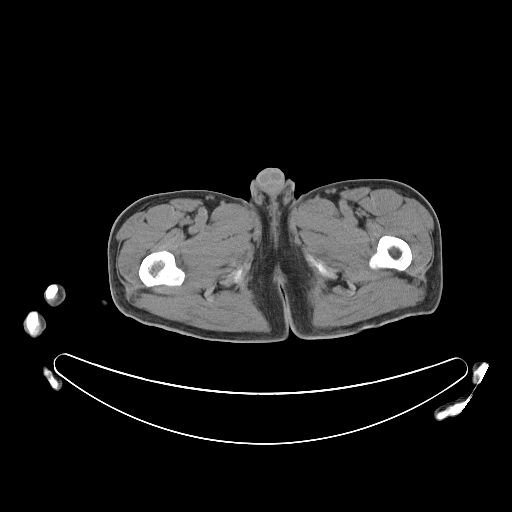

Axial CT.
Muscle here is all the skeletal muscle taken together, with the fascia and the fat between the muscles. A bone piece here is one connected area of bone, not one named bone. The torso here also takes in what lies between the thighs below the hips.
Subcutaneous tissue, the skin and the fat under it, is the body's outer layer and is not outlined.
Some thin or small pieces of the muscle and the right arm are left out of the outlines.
Outlined structures:
left leg: 359,178 385,178 403,182 416,189 433,207 439,220 442,244 443,288 439,305 436,310 430,314 405,317 352,335 329,339 298,338 290,331 284,297 282,264 279,257 277,241 287,221 296,196 325,184
right leg: 186,189 211,190 244,199 248,198 253,204 278,250 282,271 285,311 290,332 285,340 268,343 234,343 200,339 140,323 133,318 124,315 114,304 108,280 107,247 110,230 115,219 128,205 141,197 160,192
bones 1: 160,250 167,250 171,252 174,255 176,265 183,270 185,273 184,280 180,285 170,286 169,285 160,284 159,285 154,285 153,286 146,286 140,279 138,274 138,270 142,259 146,255 152,252 159,251
bones 2: 383,235 392,235 396,237 399,237 403,239 409,245 410,249 411,250 411,253 412,254 412,259 411,260 410,264 404,270 402,270 401,271 394,268 371,268 369,266 369,259 370,257 376,251 378,240 379,238
bones 3: 469,394 470,394 472,397 466,403 464,407 458,413 455,415 449,415 446,417 443,417 440,419 438,419 437,418 436,416 437,415 437,413 440,411 444,410 451,405 453,405 456,403 461,402 462,400 468,396
bones 4: 31,311 36,311 37,312 37,315 38,316 38,318 40,322 40,329 39,330 39,332 36,335 30,335 25,325 25,319 26,318 26,316 29,313 29,312
bones 5: 310,256 313,257 316,260 320,260 322,262 323,262 323,263 327,268 327,270 329,273 329,275 328,276 322,274 318,270 318,269 315,266 314,266 308,260 308,257 309,257
bones 6: 483,362 485,362 487,364 487,367 486,368 486,370 485,371 485,372 484,373 484,374 483,375 483,376 481,378 481,379 480,380 480,381 478,383 475,383 474,382 474,381 473,380 473,373 474,372 474,371
bones 7: 51,284 56,284 56,285 57,286 57,292 56,293 56,295 55,296 55,297 53,299 51,299 50,300 48,300 46,298 46,297 45,296 45,291 46,290 46,289 48,287 48,286 49,286
bones 8: 45,368 46,368 48,370 49,370 49,371 52,375 54,375 54,377 55,378 56,381 58,383 58,387 54,387 51,384 51,383 48,379 47,376 46,375 45,375 45,374 44,373 44,369
bones 9: 238,268 241,268 242,269 242,273 241,274 241,276 240,277 240,278 238,280 238,281 237,281 236,282 234,282 233,281 233,276 232,275 232,273 236,269 237,269
muscle 1: 173,196 208,198 237,203 253,210 259,216 261,246 253,278 247,287 253,295 256,306 268,321 269,331 241,332 204,329 155,315 132,305 125,298 124,287 117,275 115,266 118,244 116,234 123,223 138,208, around holes outlined by 160,250 167,250 171,252 174,255 176,265 183,270 185,273 184,280 180,285 170,286 169,285 160,284 159,285 154,285 153,286 146,286 140,279 138,274 138,270 142,259 146,255 152,252 159,251 and by 238,268 241,268 242,269 242,273 241,274 241,276 240,277 240,278 238,280 238,281 237,281 236,282 234,282 233,281 233,276 232,275 232,273 236,269 237,269
muscle 2: 362,186 398,190 417,200 431,215 433,260 426,272 426,296 413,306 398,308 348,325 317,328 311,323 313,309 309,302 309,292 312,287 312,276 302,265 290,243 288,218 295,208 310,198 345,188, around holes outlined by 383,235 392,235 396,237 399,237 403,239 409,245 410,249 411,250 411,253 412,254 412,259 411,260 410,264 404,270 402,270 401,271 394,268 371,268 369,266 369,259 370,257 376,251 378,240 379,238 and by 310,256 313,257 316,260 320,260 322,262 323,262 323,263 327,268 327,270 329,273 329,275 328,276 322,274 318,270 318,269 315,266 314,266 308,260 308,257 309,257
right arm 1: 34,310 35,311 37,311 38,312 42,313 42,314 44,316 46,320 46,327 44,331 41,334 41,335 35,338 28,335 24,331 24,329 23,328 23,321 26,318 26,316 29,313 29,312 33,311
right arm 2: 56,283 61,283 64,286 65,288 65,298 63,302 61,304 55,307 52,307 48,305 48,304 45,301 43,295 44,294 44,292 46,290 48,286 49,286 51,284 55,284
right arm 3: 45,368 49,370 51,374 52,375 54,375 54,377 56,381 58,383 59,382 58,384 58,387 54,387 51,384 47,376 45,375 44,373 44,369
torso: 265,168 277,168 281,170 287,178 291,178 294,182 295,197 286,221 284,223 284,225 282,227 279,236 276,241 276,244 273,237 261,218 261,216 259,215 257,209 248,197 250,195 250,183 251,181 261,170
left arm: 478,360 482,360 485,362 487,364 487,367 480,381 476,384 475,389 470,394 472,397 464,407 455,415 449,415 440,419 436,419 434,417 434,410 437,407 469,392 472,385 468,383 468,376 470,374 471,367